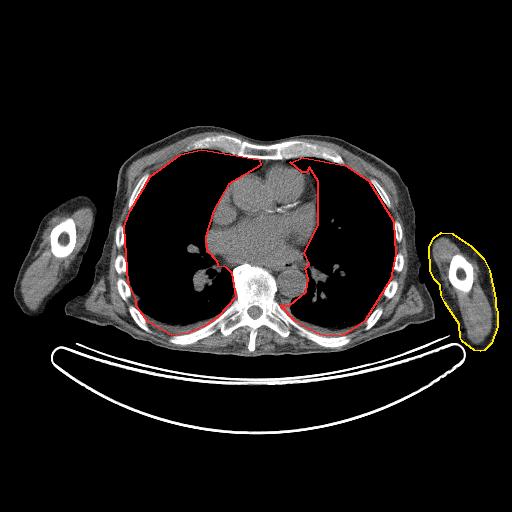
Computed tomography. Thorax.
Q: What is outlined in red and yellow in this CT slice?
A: red: thoracic cavity; yellow: left arm.
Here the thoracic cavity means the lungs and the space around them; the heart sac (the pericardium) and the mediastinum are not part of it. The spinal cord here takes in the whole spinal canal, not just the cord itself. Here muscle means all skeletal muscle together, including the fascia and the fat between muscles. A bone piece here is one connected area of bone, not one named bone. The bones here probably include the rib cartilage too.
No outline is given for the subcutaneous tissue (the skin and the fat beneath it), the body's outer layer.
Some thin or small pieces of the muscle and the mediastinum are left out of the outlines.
The thoracic cavity appears in 2 outlined pieces: piece 1: 201,149 259,159 260,165 228,184 213,210 205,236 206,249 216,260 217,265 225,266 231,272 235,297 217,317 204,326 188,333 171,335 148,322 136,306 136,299 128,283 124,226 130,210 150,176 180,154; piece 2: 303,157 345,165 368,180 393,221 395,254 390,279 364,321 343,335 326,336 316,333 295,321 280,305 289,305 306,291 308,278 305,268 309,264 304,252 318,225 318,181 309,167 306,172 302,172 290,162. The left arm is outlined by 441,232 452,233 471,246 483,258 489,270 495,299 495,306 497,312 497,326 491,343 484,350 480,351 474,350 462,341 460,337 459,324 445,303 441,295 440,285 435,280 430,271 429,246 434,237. The right arm is outlined by 80,194 88,196 94,202 97,208 97,215 92,236 88,248 82,258 78,273 49,302 44,311 39,316 36,317 28,316 23,313 13,297 13,287 19,268 29,249 38,225 43,216 52,208 67,199. The torso is outlined by 196,125 220,126 260,140 300,134 334,136 395,168 408,187 414,208 415,245 421,260 419,277 432,297 435,317 345,351 240,356 172,350 135,339 112,325 68,316 65,304 87,291 94,277 122,163 138,149. The spinal cord is outlined by 252,306 257,306 259,308 260,308 261,309 261,313 260,314 260,315 258,317 257,317 256,318 254,318 253,317 252,317 248,313 248,309 250,307 251,307. The mediastinum appears in 3 outlined pieces: piece 1: 211,223 208,237 213,251 229,264 239,262 285,262 299,256 305,246 303,257 308,264 304,268 307,278 305,291 294,297 289,304 279,303 275,297 276,280 264,267 248,262 243,262 234,267 231,271 225,265 218,265 206,246 206,236; piece 2: 294,158 297,158 295,159 291,159 289,161 290,164 292,165 290,165 287,163 284,163 283,162 275,162 274,163 271,163 264,166 259,171 254,171 250,172 252,172 256,170 260,167 261,165 261,160 287,160 288,159 293,159; piece 3: 309,168 310,169 310,174 317,181 316,183 316,189 317,190 317,197 316,198 316,203 316,195 315,194 315,192 314,191 314,188 312,185 312,183 310,181 308,177 304,173 303,173 306,173 309,169. The pericardium is outlined by 275,163 283,163 292,166 307,177 315,195 317,225 301,249 301,253 291,259 273,263 264,263 261,261 229,263 214,251 214,247 210,241 209,233 212,227 214,210 220,197 232,182 241,176 259,172 264,167. The muscle appears in 4 outlined pieces: piece 1: 209,131 224,133 206,135 190,141 183,152 152,174 144,173 134,186 127,201 129,212 126,221 124,225 119,223 116,226 115,231 114,232 114,233 114,241 117,248 124,248 124,255 119,253 115,257 114,268 119,275 127,275 127,281 121,276 116,280 116,288 125,302 132,296 134,297 135,306 129,304 127,310 133,321 148,333 153,332 149,323 169,334 167,340 171,344 187,346 218,330 224,337 227,337 234,330 246,326 249,329 246,346 248,352 230,344 209,348 167,345 136,334 106,316 87,310 84,306 85,300 100,278 108,274 110,254 114,239 116,223 127,200 125,173 128,166 136,159 185,137; piece 2: 298,139 334,143 390,177 398,191 397,210 406,237 408,267 405,283 407,287 415,286 424,306 419,313 402,317 386,329 350,346 341,348 294,348 278,346 264,352 255,352 258,329 262,326 266,326 282,338 288,337 293,328 297,335 303,337 322,347 330,347 331,348 343,347 347,345 352,339 350,333 358,326 364,323 363,329 366,331 379,320 383,308 380,305 376,306 377,302 382,295 390,299 396,293 398,281 391,279 391,276 393,271 398,273 404,266 404,256 401,252 396,253 395,248 396,242 402,240 403,229 398,220 393,220 389,210 392,206 389,196 380,183 374,177 369,180 348,167 335,149; piece 3: 82,207 89,207 92,210 92,223 84,243 68,268 63,272 59,281 41,301 39,306 35,310 29,309 23,301 20,290 21,281 27,268 36,258 35,254 42,241 42,234 48,221 56,214 66,212 69,213; inner edge: 67,218 71,218 75,223 75,227 76,228 76,241 75,242 75,245 72,251 67,256 63,257 62,258 58,258 54,256 51,252 51,245 50,244 50,233 52,229 54,227 54,226 55,226 58,223 63,221; piece 4: 441,237 448,238 462,251 473,258 477,262 479,267 480,284 491,309 491,328 484,340 478,344 473,343 468,338 457,299 450,293 445,286 444,281 441,278 439,269 434,260 432,250 433,245 435,241; inner edge: 455,254 460,254 462,255 471,264 473,268 473,282 472,283 472,286 471,287 471,289 470,291 467,293 464,293 456,289 451,284 449,280 449,278 448,277 448,269 449,268 449,264 450,263 450,261 452,257. The bones appear in 14 outlined pieces: piece 1: 243,263 273,276 275,299 299,325 326,337 349,334 350,341 322,346 293,327 282,337 262,325 251,352 247,347 250,329 244,325 227,336 218,329 187,345 171,343 171,336 198,330 225,310 236,297 232,271, around a hole outlined by 252,306 257,306 259,308 260,308 261,309 261,313 260,314 260,315 258,317 257,317 256,318 254,318 253,317 252,317 248,313 248,309 250,307 251,307; piece 2: 220,134 231,135 241,140 261,145 269,145 295,139 302,140 335,150 341,156 345,164 340,164 315,156 303,156 287,159 260,159 239,156 217,149 201,148 184,151 185,147 194,140 206,136 214,136; piece 3: 67,218 71,218 75,223 75,227 76,228 76,241 75,242 75,245 72,251 67,256 63,257 62,258 58,258 54,256 51,252 51,245 50,244 50,233 52,229 54,227 54,226 55,226 58,223 63,221; piece 4: 455,254 460,254 462,255 471,264 473,268 473,282 472,283 472,286 471,287 471,289 470,291 467,293 464,293 456,289 451,284 449,280 449,278 448,277 448,269 449,268 449,264 450,263 450,261 452,257; piece 5: 129,305 133,305 135,307 136,307 141,312 141,313 145,318 149,328 152,331 152,332 148,332 147,331 144,330 142,328 141,328 134,321 134,320 132,318 132,317 131,316 131,315 128,310 128,307 129,306; piece 6: 146,173 149,173 150,175 147,179 147,180 145,182 144,185 142,187 132,207 130,209 129,209 128,208 128,201 129,200 129,198 135,186 137,184 140,178 144,174; piece 7: 120,277 121,277 123,279 124,279 127,282 127,283 130,287 130,289 131,290 131,292 132,293 132,295 130,297 129,297 126,301 125,301 121,297 121,296 118,291 118,289 117,288 117,280; piece 8: 378,306 380,306 382,308 382,313 381,314 380,317 378,319 378,320 369,329 367,329 366,330 365,329 364,329 364,327 365,326 365,323 364,322 365,321 365,320 370,315 370,314 375,309 375,308; piece 9: 371,178 374,178 379,183 379,184 384,189 384,190 386,192 388,196 388,198 389,199 390,204 391,205 390,208 388,208 387,206 384,203 383,200 381,198 377,190 370,181 370,179; piece 10: 119,224 120,224 121,225 122,225 123,226 123,227 124,228 124,243 123,244 123,246 122,246 120,248 118,248 118,247 117,246 117,245 116,244 116,242 115,241 115,232 116,231 116,228 117,227 117,226; piece 11: 119,254 121,254 123,256 124,256 124,258 125,259 125,263 126,264 126,273 122,273 121,274 119,274 117,272 117,271 116,270 116,269 115,268 115,259 116,258 116,257; piece 12: 390,280 396,280 397,281 397,288 396,289 396,291 395,292 395,293 390,298 386,298 383,295 383,292 384,291 384,290 385,289 385,288 386,287 386,286 387,285 387,284 388,283 388,282; piece 13: 397,253 401,253 402,254 402,255 403,256 403,266 402,267 402,268 401,269 401,270 400,271 399,271 398,272 397,271 395,271 393,269 393,263 394,262 394,258 395,257 395,255; piece 14: 394,221 398,221 399,222 399,223 400,224 400,225 401,226 401,228 402,229 402,236 401,237 401,240 399,242 397,242 396,241 396,238 395,237 395,231 394,230.